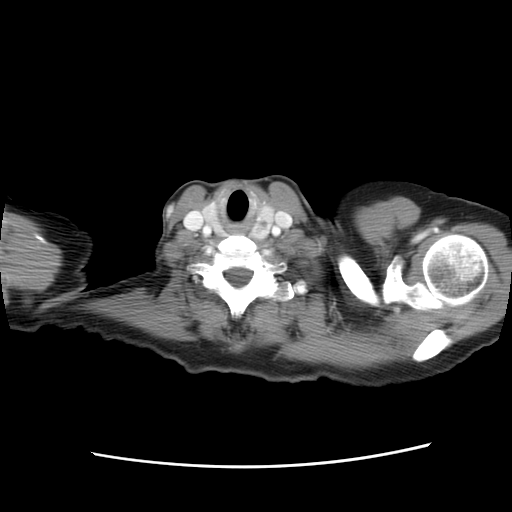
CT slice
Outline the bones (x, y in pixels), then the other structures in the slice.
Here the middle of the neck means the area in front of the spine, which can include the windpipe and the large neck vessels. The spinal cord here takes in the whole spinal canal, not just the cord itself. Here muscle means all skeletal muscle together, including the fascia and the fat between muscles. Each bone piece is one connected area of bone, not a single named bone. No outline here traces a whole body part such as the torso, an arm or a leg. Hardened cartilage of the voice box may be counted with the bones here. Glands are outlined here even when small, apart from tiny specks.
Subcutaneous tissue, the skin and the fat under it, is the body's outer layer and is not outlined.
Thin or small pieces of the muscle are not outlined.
{"bones":[[[448,234],[468,236],[484,250],[488,260],[488,276],[482,289],[466,303],[456,306],[445,305],[438,309],[419,310],[403,302],[384,303],[381,288],[386,269],[393,258],[397,255],[402,260],[402,279],[406,284],[423,282],[422,259],[426,251],[434,242]],{"outer":[[230,234],[247,236],[245,239],[256,243],[269,262],[285,262],[287,268],[277,276],[279,282],[302,279],[307,284],[307,292],[296,293],[287,301],[258,297],[239,317],[232,317],[225,301],[205,288],[201,277],[187,268],[191,263],[210,262],[218,242]],"hole":[[234,267],[239,267],[240,268],[245,268],[246,269],[248,269],[249,270],[251,270],[252,271],[252,275],[247,283],[246,283],[239,287],[236,287],[235,286],[234,286],[225,278],[225,276],[224,275],[224,272],[225,271],[226,271],[231,268],[233,268]]},[[343,254],[348,254],[350,255],[358,263],[362,270],[369,278],[370,281],[373,285],[373,287],[376,293],[380,298],[380,301],[378,306],[372,306],[370,304],[358,299],[350,291],[347,285],[345,283],[339,271],[339,268],[338,267],[338,257]],[[433,329],[441,329],[443,330],[444,332],[448,336],[450,337],[452,341],[451,344],[447,346],[439,353],[427,360],[425,360],[421,362],[417,362],[415,361],[412,358],[412,354],[414,352],[415,349],[418,346],[418,345],[426,336],[426,335]]],"muscle":[{"outer":[[230,180],[265,187],[271,181],[287,184],[308,216],[337,234],[349,226],[356,206],[393,195],[415,202],[427,221],[441,217],[491,224],[504,233],[511,247],[505,313],[487,330],[446,349],[451,337],[433,328],[411,354],[417,363],[393,362],[349,371],[274,358],[258,349],[231,354],[204,339],[158,338],[111,318],[70,309],[85,299],[109,294],[153,267],[154,251],[167,227],[168,207],[184,190],[194,184],[210,190]],"holes":[[[233,188],[252,192],[258,201],[292,218],[257,249],[269,262],[285,262],[286,270],[277,276],[280,283],[302,279],[308,289],[287,301],[258,297],[239,317],[232,317],[225,301],[187,268],[210,262],[219,240],[205,238],[183,222],[188,213]],[[448,234],[468,236],[484,250],[488,260],[488,276],[482,289],[466,303],[456,306],[445,305],[438,309],[419,310],[403,302],[384,303],[381,288],[386,269],[393,258],[397,255],[402,260],[402,279],[406,284],[423,282],[422,259],[426,251],[434,242]],[[343,254],[348,254],[350,255],[358,263],[362,270],[369,278],[370,281],[373,285],[373,287],[376,293],[380,298],[380,301],[378,306],[372,306],[370,304],[358,299],[350,291],[347,285],[345,283],[339,271],[339,268],[338,267],[338,257]]]},[[5,207],[10,211],[26,216],[41,223],[46,230],[48,239],[56,244],[62,251],[61,254],[63,258],[63,266],[54,284],[55,292],[51,296],[32,306],[17,307],[8,306],[4,303],[2,285],[0,279],[0,238],[3,213]]],"spinal_cord":[[[234,267],[239,267],[240,268],[245,268],[246,269],[248,269],[249,270],[251,270],[252,271],[252,275],[247,283],[246,283],[239,287],[236,287],[235,286],[234,286],[225,278],[225,276],[224,275],[224,272],[225,271],[226,271],[231,268],[233,268]]],"thyroid_glands":[[[263,203],[269,204],[273,206],[275,210],[273,213],[273,221],[271,225],[269,227],[266,235],[263,238],[261,238],[260,239],[259,238],[250,237],[249,235],[254,228],[254,226],[256,225],[257,219],[259,217],[259,215],[262,210],[262,205]],[[213,200],[215,201],[215,204],[216,205],[216,212],[218,216],[218,219],[223,228],[223,230],[227,233],[228,233],[229,235],[227,235],[226,236],[220,236],[215,231],[213,227],[205,220],[203,216],[203,214],[200,211],[200,210],[206,204],[211,202]]],"middle_of_the_neck":[[[233,188],[242,188],[252,192],[262,203],[255,225],[248,235],[250,238],[260,240],[267,235],[274,221],[276,210],[289,215],[292,218],[292,223],[281,229],[278,236],[272,235],[262,243],[247,240],[248,236],[243,233],[227,232],[219,219],[215,199]],[[191,211],[199,211],[202,214],[202,216],[204,220],[212,227],[214,231],[220,237],[225,237],[219,240],[215,238],[208,239],[207,238],[205,238],[199,231],[192,231],[188,229],[188,228],[184,225],[183,220],[184,218],[186,217],[188,213]]]}